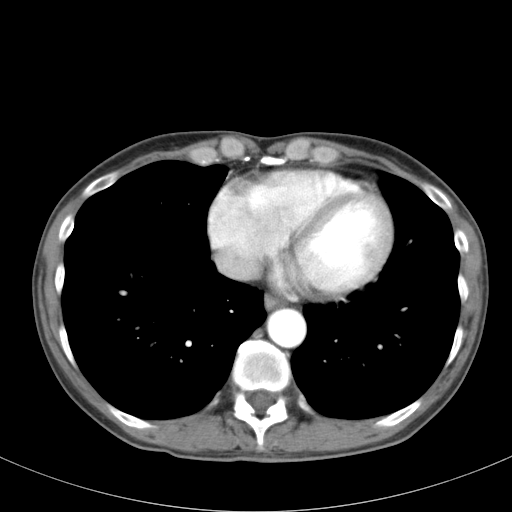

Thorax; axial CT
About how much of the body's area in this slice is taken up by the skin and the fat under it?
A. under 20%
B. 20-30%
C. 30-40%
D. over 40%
Answer: A. under 20%
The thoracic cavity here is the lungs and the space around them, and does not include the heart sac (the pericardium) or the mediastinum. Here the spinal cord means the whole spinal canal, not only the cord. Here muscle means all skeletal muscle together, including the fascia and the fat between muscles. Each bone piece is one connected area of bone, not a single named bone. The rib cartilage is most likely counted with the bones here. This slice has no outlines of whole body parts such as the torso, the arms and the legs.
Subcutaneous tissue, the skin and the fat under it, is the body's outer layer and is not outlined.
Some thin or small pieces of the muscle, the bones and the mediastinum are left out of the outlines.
{"bones":[{"outer":[[247,339],[265,340],[282,351],[289,361],[291,373],[296,386],[285,392],[287,398],[286,408],[288,417],[285,420],[274,423],[267,428],[263,435],[262,450],[257,447],[256,436],[253,429],[245,421],[233,416],[233,390],[227,383],[237,349],[239,345]],"hole":[[260,389],[263,389],[264,390],[266,390],[269,392],[271,392],[275,394],[275,400],[274,402],[272,404],[271,404],[265,410],[263,414],[257,414],[255,409],[248,402],[247,398],[246,397],[246,394],[248,392],[250,391],[255,391],[256,390],[259,390]]},[[297,139],[307,140],[310,143],[311,148],[315,146],[331,147],[337,150],[340,155],[336,160],[328,164],[312,162],[313,158],[310,153],[307,159],[290,159],[283,164],[277,165],[262,164],[258,161],[261,156],[265,154],[281,156],[284,154],[286,146]],[[225,138],[235,138],[239,140],[244,146],[244,154],[248,155],[240,155],[236,158],[227,158],[222,156],[221,160],[219,162],[212,163],[208,165],[196,164],[192,162],[188,156],[188,153],[190,150],[198,147],[208,146],[213,147],[218,150],[221,140]],[[420,397],[422,397],[422,401],[421,402],[421,404],[410,415],[409,415],[398,423],[394,425],[392,425],[391,426],[374,426],[373,425],[374,422],[381,417],[383,416],[385,416],[388,414],[390,414],[393,412],[395,412],[407,406],[409,404],[412,403]],[[115,170],[117,170],[120,173],[120,177],[115,182],[114,182],[111,185],[94,193],[87,198],[85,198],[82,196],[82,192],[84,190],[84,189],[92,181],[93,181],[95,179],[98,178],[100,176],[104,174],[106,174],[109,172],[111,172]],[[107,402],[111,404],[114,407],[117,408],[119,410],[125,413],[127,413],[130,415],[135,416],[138,418],[140,418],[144,420],[147,420],[156,426],[153,428],[137,428],[136,427],[129,426],[123,423],[109,411],[108,408],[106,406],[106,403]],[[421,182],[427,182],[428,183],[435,186],[438,189],[439,189],[447,197],[447,198],[449,200],[449,201],[452,206],[452,208],[451,209],[450,209],[448,211],[445,211],[441,207],[440,207],[437,204],[436,204],[420,188],[420,186],[419,185]],[[61,323],[63,323],[64,324],[64,327],[67,334],[68,342],[69,343],[73,357],[77,364],[78,368],[75,368],[71,364],[67,358],[65,353],[63,351],[63,349],[61,346],[61,344],[60,343],[60,339],[59,338],[59,333],[58,332],[59,326]],[[458,324],[460,324],[463,328],[463,335],[462,336],[462,341],[461,342],[460,347],[456,355],[454,357],[453,360],[447,367],[444,367],[444,364],[449,355],[449,352],[452,346],[452,343],[453,342],[453,339],[454,338],[454,334],[455,333],[455,331]],[[297,388],[303,394],[303,395],[304,396],[304,397],[305,398],[305,399],[306,400],[307,403],[311,407],[311,408],[313,410],[313,413],[308,413],[307,412],[304,411],[302,409],[301,409],[298,406],[298,405],[297,404]]],"muscle":[[[85,186],[81,192],[85,200],[58,229],[58,240],[64,243],[63,261],[53,277],[63,319],[58,338],[70,364],[106,401],[108,411],[129,427],[153,429],[157,426],[148,420],[178,418],[216,406],[226,384],[232,390],[232,416],[252,429],[261,451],[268,428],[289,417],[286,392],[293,388],[297,406],[308,414],[314,410],[348,420],[380,417],[374,427],[391,427],[410,416],[443,367],[454,360],[464,335],[458,320],[469,287],[459,266],[469,243],[461,228],[453,229],[446,213],[453,206],[440,189],[473,228],[481,253],[482,304],[471,350],[442,396],[380,441],[334,451],[269,454],[191,452],[139,440],[74,387],[53,356],[41,322],[38,276],[44,242],[57,214]],[[223,135],[238,135],[248,138],[255,142],[263,151],[275,142],[292,138],[301,136],[321,138],[385,157],[402,169],[427,181],[421,181],[418,187],[403,177],[358,162],[341,161],[337,163],[331,163],[336,161],[341,155],[337,149],[327,145],[315,145],[311,147],[311,143],[305,138],[297,138],[290,141],[285,146],[283,154],[281,155],[265,153],[261,155],[257,160],[255,159],[256,156],[254,154],[245,154],[245,146],[239,139],[235,137],[225,137],[220,140],[218,149],[208,145],[198,146],[190,149],[187,153],[190,161],[179,159],[157,160],[143,165],[121,176],[121,173],[115,169],[125,165],[138,156],[152,151],[173,150],[175,148],[181,148],[201,140],[220,137]]],"spinal_cord":[[[260,389],[263,389],[264,390],[266,390],[269,392],[271,392],[275,394],[275,400],[274,402],[272,404],[271,404],[265,410],[263,414],[257,414],[255,409],[248,402],[247,398],[246,397],[246,394],[248,392],[250,391],[255,391],[256,390],[259,390]]],"pericardium":[[[292,163],[353,168],[373,174],[390,210],[394,225],[394,240],[391,251],[377,279],[366,285],[346,302],[294,303],[287,301],[264,287],[225,275],[218,269],[212,256],[213,252],[206,230],[207,214],[213,198],[224,183],[228,173],[238,167],[277,166]]],"mediastinum":[[[241,282],[264,288],[282,300],[294,304],[346,303],[339,307],[333,305],[327,307],[316,305],[304,307],[303,315],[307,324],[307,333],[289,360],[286,354],[271,342],[262,338],[248,338],[263,323],[266,318],[266,311],[263,305],[263,292],[255,286]],[[249,155],[254,155],[255,156],[255,158],[254,159],[255,160],[256,160],[260,164],[262,165],[265,165],[259,165],[258,166],[238,166],[231,169],[228,172],[228,168],[225,165],[220,163],[217,163],[223,162],[226,160],[236,159],[240,156],[248,156]],[[341,162],[353,162],[354,163],[358,163],[359,164],[365,165],[379,170],[378,171],[379,172],[380,179],[379,180],[378,185],[378,179],[373,173],[367,172],[358,168],[354,168],[353,167],[345,167],[344,166],[330,165],[329,164],[337,164]]],"thoracic_cavity":[[[162,160],[187,161],[199,166],[220,164],[227,168],[206,214],[209,258],[223,276],[262,292],[265,318],[238,345],[226,383],[205,406],[178,417],[144,419],[108,402],[81,371],[65,327],[61,295],[65,280],[65,242],[83,203],[122,176]],[[380,170],[415,185],[447,215],[459,254],[456,284],[460,306],[457,325],[442,368],[415,400],[395,411],[375,417],[348,419],[327,416],[313,409],[297,387],[290,361],[308,333],[304,308],[339,308],[378,282],[395,240],[393,216],[379,185]]]}